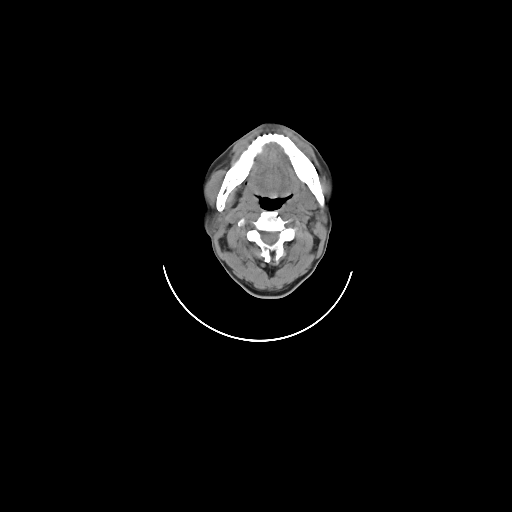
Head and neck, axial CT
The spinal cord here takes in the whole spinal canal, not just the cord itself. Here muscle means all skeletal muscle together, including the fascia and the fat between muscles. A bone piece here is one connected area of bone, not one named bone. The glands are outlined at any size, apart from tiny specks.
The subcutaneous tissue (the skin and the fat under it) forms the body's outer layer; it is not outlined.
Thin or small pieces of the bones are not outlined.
{"parotid_glands":[[[213,213],[214,213],[215,214],[216,214],[219,217],[219,227],[216,230],[216,231],[214,233],[214,232],[213,231],[212,231],[212,230],[211,229],[210,229],[210,226],[209,225],[209,220],[210,219],[210,218],[211,217],[211,216],[213,214]],[[320,210],[322,210],[323,211],[324,211],[325,212],[325,214],[326,215],[326,223],[325,224],[325,225],[324,224],[323,224],[321,222],[320,222],[319,221],[318,221],[316,219],[316,214]]],"spinal_cord":[[[260,231],[265,231],[266,232],[278,232],[278,237],[277,238],[277,239],[273,243],[272,243],[271,244],[268,244],[267,243],[266,243],[265,242],[264,242],[262,240],[262,239],[261,238],[261,236],[260,235]]],"head_and_neck":[{"outer":[[264,122],[276,122],[286,125],[311,142],[328,164],[334,179],[334,193],[330,206],[332,226],[325,253],[309,277],[291,293],[274,299],[259,298],[249,294],[228,275],[214,255],[211,240],[203,227],[205,204],[202,197],[202,182],[208,167],[230,144]],"hole":[[260,198],[269,198],[270,199],[275,199],[276,198],[286,198],[286,199],[285,200],[285,201],[284,201],[283,202],[283,203],[282,203],[281,204],[281,205],[277,209],[273,209],[272,210],[269,210],[268,209],[264,209],[260,205]]}],"bones":[[[265,133],[278,133],[287,136],[311,161],[319,177],[325,200],[324,207],[320,207],[308,186],[297,176],[283,148],[278,143],[270,141],[264,144],[261,151],[254,157],[245,179],[228,194],[223,210],[218,211],[216,209],[216,197],[227,170],[257,136]],{"outer":[[262,210],[277,210],[277,213],[281,218],[284,220],[291,219],[291,224],[296,227],[294,237],[291,240],[283,243],[284,255],[278,261],[272,258],[270,261],[266,262],[261,255],[260,247],[255,242],[250,241],[246,235],[250,226],[250,222],[256,220]],"hole":[[260,231],[265,231],[266,232],[278,232],[278,237],[277,238],[277,239],[273,243],[272,243],[271,244],[268,244],[267,243],[266,243],[265,242],[264,242],[262,240],[262,239],[261,238],[261,236],[260,235]]}],"muscle":[{"outer":[[264,128],[283,129],[306,143],[330,185],[325,199],[312,161],[287,135],[278,132],[257,135],[223,176],[215,197],[215,209],[223,211],[229,194],[246,179],[255,157],[264,145],[274,142],[282,148],[296,176],[307,186],[319,207],[325,206],[325,211],[320,209],[315,214],[315,219],[326,228],[320,254],[304,274],[278,291],[255,288],[234,274],[220,257],[214,238],[220,217],[214,212],[206,190],[212,172],[233,148]],"holes":[[[260,198],[286,198],[277,209],[277,213],[284,220],[291,219],[291,224],[296,227],[294,237],[283,243],[284,255],[278,261],[272,258],[270,261],[266,262],[261,255],[260,247],[255,242],[250,241],[246,235],[250,222],[256,220],[264,209],[260,205]],[[241,218],[242,218],[243,218],[244,218],[245,219],[246,220],[246,221],[246,222],[246,223],[245,224],[244,225],[243,225],[242,226],[241,226],[240,226],[239,226],[238,225],[237,224],[237,223],[238,222],[238,221],[239,220],[240,219]]]}]}